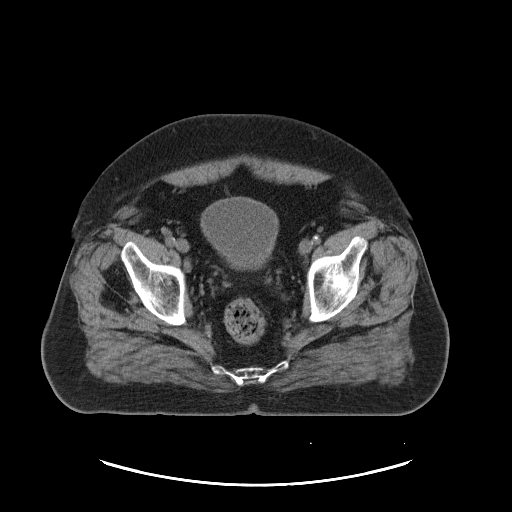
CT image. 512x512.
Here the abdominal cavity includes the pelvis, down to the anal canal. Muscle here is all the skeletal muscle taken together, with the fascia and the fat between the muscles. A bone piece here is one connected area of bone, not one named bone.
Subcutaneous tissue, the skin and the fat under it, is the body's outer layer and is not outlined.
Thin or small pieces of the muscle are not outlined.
The abdominal cavity is outlined by 240 165; 248 167; 258 179; 269 182; 310 186; 334 181; 340 188; 339 226; 313 251; 297 323; 280 357; 269 366; 230 367; 218 355; 196 319; 186 285; 184 261; 174 249; 134 226; 142 215; 139 202; 152 186; 204 185; 230 175. The muscle is outlined by 243 153; 334 174; 356 187; 410 238; 418 254; 415 309; 409 326; 415 357; 411 378; 392 386; 331 385; 279 392; 248 384; 231 392; 210 392; 177 384; 106 382; 88 371; 86 338; 69 285; 73 258; 88 234; 135 184; 172 168, around a hole outlined by 240 165; 258 179; 278 184; 339 184; 339 226; 315 248; 311 262; 339 254; 354 236; 367 241; 354 298; 329 319; 311 322; 306 284; 297 323; 275 362; 287 360; 288 367; 262 383; 253 378; 243 385; 212 371; 212 365; 237 368; 207 338; 188 289; 186 322; 168 324; 143 305; 120 258; 122 247; 132 241; 150 261; 183 271; 184 261; 174 249; 135 228; 142 196; 160 183; 212 183. The torso is outlined by 209 112; 271 112; 313 122; 357 145; 391 175; 412 216; 413 228; 449 328; 446 371; 438 390; 423 406; 395 416; 123 415; 77 412; 64 405; 54 394; 42 367; 40 340; 71 249; 70 233; 83 197; 102 170; 138 139; 168 122. The bones appear in 3 outlined pieces: piece 1: 357 235; 363 237; 367 241; 367 249; 360 260; 359 265; 360 281; 354 298; 343 309; 329 319; 319 322; 309 321; 308 318; 310 315; 310 301; 309 300; 309 291; 306 284; 306 275; 311 262; 322 256; 339 254; 348 245; 351 239; piece 2: 128 241; 134 242; 141 252; 150 261; 158 264; 171 264; 179 267; 183 271; 185 276; 186 286; 184 294; 184 314; 186 318; 186 322; 184 324; 181 325; 168 324; 150 312; 143 305; 139 296; 133 288; 129 275; 120 258; 121 249; piece 3: 282 360; 288 361; 288 367; 286 369; 282 369; 272 373; 262 383; 258 382; 255 378; 253 378; 246 380; 243 385; 238 385; 227 374; 216 374; 211 369; 212 365; 221 365; 231 371; 233 371; 237 368; 244 367; 263 367; 266 370.